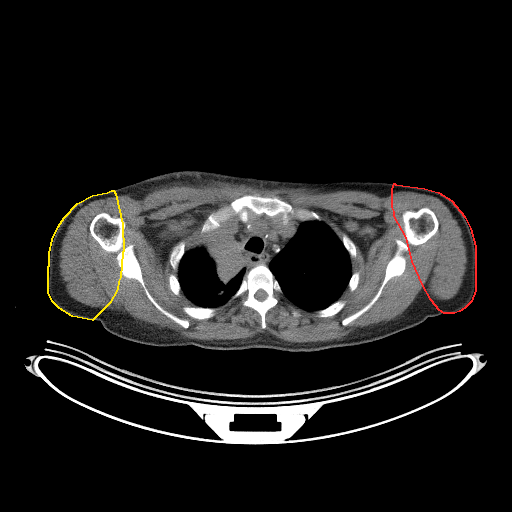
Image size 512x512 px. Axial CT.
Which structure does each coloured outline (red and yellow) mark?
red: left arm; yellow: right arm.
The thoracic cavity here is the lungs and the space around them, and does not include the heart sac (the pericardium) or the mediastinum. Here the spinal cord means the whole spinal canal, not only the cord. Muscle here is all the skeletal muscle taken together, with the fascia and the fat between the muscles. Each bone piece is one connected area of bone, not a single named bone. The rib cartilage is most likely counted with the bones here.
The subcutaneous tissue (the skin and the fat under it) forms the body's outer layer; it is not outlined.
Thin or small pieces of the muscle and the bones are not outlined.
left arm: (394, 183) (395, 184) (424, 188) (438, 192) (451, 200) (464, 216) (470, 228) (475, 246) (475, 290) (471, 301) (464, 308) (459, 311) (454, 313) (444, 313) (439, 310) (431, 300) (422, 284) (412, 261) (406, 237) (394, 216) (394, 211) (392, 207) (392, 189)
right arm: (111, 190) (113, 190) (115, 193) (122, 224) (123, 251) (122, 252) (120, 277) (118, 281) (117, 289) (109, 303) (92, 320) (72, 316) (59, 308) (52, 301) (48, 292) (48, 266) (49, 265) (49, 253) (52, 239) (58, 226) (64, 217) (77, 203) (92, 195) (107, 192)
spinal cord: (260, 289) (261, 289) (262, 290) (263, 290) (266, 293) (266, 294) (267, 295) (266, 296) (266, 297) (263, 300) (258, 300) (255, 297) (255, 294) (256, 293) (256, 292) (258, 290) (259, 290)
mediastinum: (251, 213) (258, 216) (263, 214) (269, 217) (280, 216) (284, 224) (291, 218) (297, 218) (302, 221) (295, 234) (270, 260) (268, 266) (264, 263) (259, 263) (252, 266) (247, 271) (247, 260) (236, 237) (237, 225) (236, 220) (232, 216) (237, 216) (242, 222) (246, 223)
thoracic cavity 1: (306, 221) (325, 222) (340, 239) (351, 261) (351, 275) (348, 280) (347, 287) (345, 288) (338, 299) (329, 305) (314, 311) (303, 309) (288, 300) (283, 295) (283, 291) (279, 282) (269, 268) (269, 264) (271, 260) (285, 247) (288, 242) (296, 234) (300, 224)
thoracic cavity 2: (231, 216) (235, 220) (236, 225) (235, 237) (246, 260) (245, 266) (246, 272) (237, 290) (229, 300) (223, 305) (216, 307) (204, 307) (195, 305) (188, 299) (182, 291) (178, 279) (179, 264) (186, 250) (191, 245) (198, 239) (209, 235) (215, 231) (220, 227) (223, 221)
muscle: (212, 181) (245, 184) (260, 189) (305, 188) (320, 192) (360, 190) (382, 197) (398, 191) (409, 191) (436, 197) (449, 209) (461, 229) (467, 256) (463, 282) (451, 298) (435, 299) (420, 295) (391, 320) (357, 327) (341, 339) (312, 342) (290, 342) (265, 331) (237, 339) (187, 338) (175, 330) (140, 321) (128, 314) (80, 302) (65, 289) (59, 272) (59, 253) (68, 226) (81, 208) (94, 200) (108, 197) (129, 195) (141, 199) (162, 187) (200, 185) with holes at (244, 195) (277, 197) (295, 208) (314, 211) (340, 239) (345, 233) (354, 242) (351, 272) (359, 272) (359, 281) (354, 290) (346, 287) (338, 298) (346, 302) (340, 311) (318, 317) (282, 295) (266, 312) (264, 329) (260, 314) (237, 299) (221, 305) (210, 318) (193, 318) (183, 311) (183, 306) (195, 305) (182, 291) (176, 295) (169, 287) (169, 275) (178, 276) (169, 260) (173, 247) (183, 240) (187, 250) (202, 237) (201, 227) (211, 213) and at (100, 212) (106, 212) (113, 217) (121, 217) (125, 221) (124, 245) (133, 245) (148, 291) (164, 309) (180, 318) (187, 319) (189, 322) (187, 328) (182, 327) (159, 311) (149, 300) (141, 284) (122, 274) (116, 260) (117, 254) (104, 250) (93, 238) (89, 231) (89, 225) and at (422, 207) (428, 207) (434, 212) (438, 220) (437, 231) (426, 242) (409, 246) (409, 250) (403, 253) (406, 262) (402, 274) (391, 278) (372, 306) (344, 326) (342, 320) (367, 304) (381, 285) (387, 264) (397, 249) (395, 240) (404, 239) (402, 214) (406, 210) (415, 211) and at (294, 308) (295, 309) (297, 309) (300, 312) (300, 316) (294, 316) (292, 314) (292, 309) (293, 309)
bones 1: (100, 212) (106, 212) (113, 217) (121, 217) (125, 221) (124, 245) (133, 245) (148, 291) (164, 309) (180, 318) (187, 319) (189, 322) (187, 328) (182, 327) (159, 311) (149, 300) (141, 284) (122, 274) (116, 260) (117, 254) (104, 250) (93, 238) (89, 231) (89, 225)
bones 2: (422, 207) (428, 207) (434, 212) (438, 220) (437, 231) (426, 242) (409, 246) (409, 250) (403, 253) (406, 262) (402, 274) (391, 278) (372, 306) (344, 326) (342, 320) (367, 304) (381, 285) (387, 264) (397, 249) (395, 240) (404, 239) (402, 214) (406, 210) (415, 211)
bones 3: (244, 195) (277, 197) (295, 208) (304, 208) (316, 212) (322, 220) (303, 221) (297, 217) (291, 217) (284, 223) (280, 215) (269, 216) (263, 213) (258, 215) (251, 212) (246, 222) (242, 221) (237, 215) (231, 215) (223, 220) (215, 230) (201, 236) (201, 227) (211, 213)
bones 4: (259, 264) (264, 264) (268, 267) (278, 282) (282, 291) (282, 295) (278, 303) (273, 307) (270, 308) (265, 314) (266, 327) (264, 329) (261, 327) (261, 317) (260, 316) (260, 314) (256, 310) (248, 306) (243, 306) (237, 299) (229, 301) (238, 290) (245, 274) (252, 267) with a hole at (260, 289) (261, 289) (262, 290) (263, 290) (266, 293) (266, 294) (267, 295) (266, 296) (266, 297) (263, 300) (258, 300) (255, 297) (255, 294) (256, 293) (256, 292) (258, 290) (259, 290)
bones 5: (185, 305) (187, 305) (188, 306) (198, 306) (199, 307) (203, 307) (204, 308) (216, 308) (217, 307) (219, 307) (216, 313) (214, 315) (214, 316) (210, 318) (205, 318) (204, 319) (197, 319) (196, 318) (193, 318) (189, 316) (183, 311) (182, 308) (183, 306)
bones 6: (181, 240) (183, 240) (185, 242) (185, 251) (184, 252) (184, 253) (183, 254) (183, 255) (178, 264) (178, 267) (177, 268) (177, 271) (176, 271) (175, 270) (174, 270) (172, 268) (169, 259) (170, 258) (170, 253) (171, 252) (173, 247) (178, 242) (179, 242)
bones 7: (339, 299) (341, 300) (345, 300) (346, 303) (345, 305) (342, 308) (342, 309) (336, 314) (332, 316) (328, 316) (327, 317) (318, 317) (316, 316) (315, 314) (315, 311) (317, 310) (319, 310) (320, 309) (323, 309) (329, 306) (331, 304) (332, 304) (334, 302) (335, 302)
bones 8: (343, 233) (345, 233) (354, 242) (354, 243) (355, 244) (355, 246) (356, 247) (356, 248) (355, 249) (356, 250) (356, 255) (355, 256) (355, 257) (352, 259) (351, 259) (351, 258) (350, 257) (350, 255) (349, 254) (348, 251) (345, 248) (345, 247) (341, 240) (341, 236)
bones 9: (170, 274) (174, 274) (177, 277) (177, 279) (179, 282) (179, 284) (180, 285) (180, 287) (181, 288) (181, 291) (180, 292) (180, 293) (179, 294) (179, 295) (176, 295) (170, 289) (170, 288) (169, 287) (169, 280) (168, 279) (168, 278) (169, 277) (169, 275)
bones 10: (355, 271) (358, 271) (359, 272) (359, 281) (358, 282) (358, 284) (357, 285) (357, 286) (355, 288) (355, 289) (354, 290) (353, 290) (352, 291) (351, 291) (348, 288) (348, 283) (349, 282) (349, 280) (350, 279) (350, 278) (352, 275) (352, 273)
torso: (177, 170) (206, 170) (280, 181) (393, 183) (391, 207) (394, 219) (405, 237) (421, 284) (432, 303) (443, 313) (378, 340) (317, 351) (153, 346) (125, 340) (107, 332) (98, 320) (93, 320) (110, 303) (121, 277) (123, 224) (114, 190)